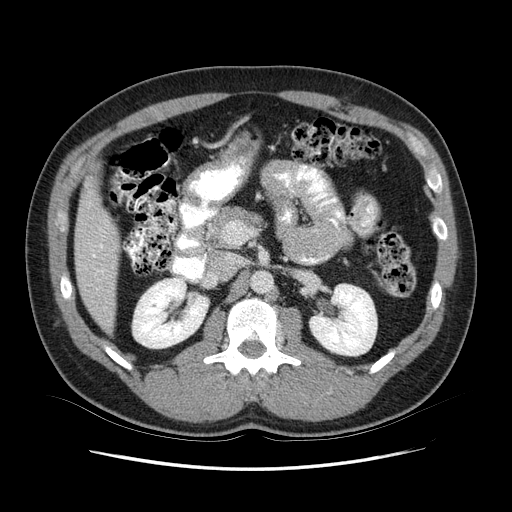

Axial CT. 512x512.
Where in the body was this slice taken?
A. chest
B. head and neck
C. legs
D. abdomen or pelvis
D. abdomen or pelvis
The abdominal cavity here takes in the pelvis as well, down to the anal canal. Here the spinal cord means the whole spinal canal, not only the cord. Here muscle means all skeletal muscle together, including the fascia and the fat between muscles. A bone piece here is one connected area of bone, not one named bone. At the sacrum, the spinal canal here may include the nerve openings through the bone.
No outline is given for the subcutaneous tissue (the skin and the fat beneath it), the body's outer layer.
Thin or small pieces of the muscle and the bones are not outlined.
{"spinal_cord":[[[253,358],[255,358],[256,357],[257,357],[258,356],[259,356],[260,355],[261,355],[265,351],[265,347],[259,341],[257,341],[256,340],[246,340],[245,341],[244,341],[238,347],[238,349],[240,352],[241,352],[246,356],[247,356],[248,357],[252,357]]],"torso":[[[312,440],[366,431],[405,417],[439,387],[463,345],[475,302],[476,243],[464,189],[441,133],[420,109],[387,87],[305,65],[194,67],[138,81],[106,97],[57,140],[39,173],[27,213],[29,301],[55,369],[91,404],[146,428],[184,436],[253,428]]],"bones":[{"outer":[[252,376],[261,368],[269,373],[275,373],[277,367],[282,363],[294,366],[301,363],[295,356],[288,355],[275,347],[274,309],[258,297],[246,297],[232,305],[226,318],[228,344],[223,350],[205,356],[203,359],[204,363],[222,362],[233,375],[245,368]],"hole":[[253,358],[255,358],[256,357],[257,357],[258,356],[259,356],[260,355],[261,355],[265,351],[265,347],[259,341],[257,341],[256,340],[246,340],[245,341],[244,341],[238,347],[238,349],[240,352],[241,352],[246,356],[247,356],[248,357],[252,357]]},[[436,194],[439,194],[441,193],[442,191],[442,180],[441,179],[441,176],[439,172],[437,170],[435,165],[433,163],[431,163],[429,166],[429,168],[428,169],[428,171],[427,172],[427,174],[425,178],[426,179],[426,182],[429,187],[433,191],[433,192]],[[441,240],[446,240],[447,239],[447,238],[448,237],[448,230],[447,229],[446,224],[444,222],[444,221],[439,216],[435,216],[434,217],[433,217],[431,219],[431,226],[432,227],[432,230],[433,231],[433,232],[435,234],[435,235],[439,239],[440,239]],[[424,157],[428,157],[429,155],[428,154],[428,152],[426,148],[424,146],[422,142],[412,133],[410,132],[407,132],[406,133],[406,135],[407,136],[407,139],[413,151],[417,153],[419,155],[421,156],[423,156]],[[128,370],[131,370],[132,369],[133,367],[132,364],[130,362],[126,360],[122,356],[121,356],[109,345],[104,344],[103,345],[103,347],[105,351],[107,353],[107,354],[115,362],[116,362],[118,364],[119,364],[121,366],[122,366],[124,368]],[[370,374],[372,373],[374,373],[378,371],[387,363],[388,363],[395,354],[395,350],[394,349],[390,349],[385,354],[381,356],[376,361],[372,363],[368,371],[368,372]],[[433,309],[436,309],[439,306],[439,304],[441,300],[441,293],[442,291],[441,290],[441,286],[438,282],[438,281],[434,281],[433,282],[430,288],[430,290],[429,291],[430,293],[430,295],[431,296],[431,298],[430,299],[431,301],[431,305]],[[64,299],[69,299],[70,298],[70,297],[71,296],[71,291],[72,290],[72,284],[71,283],[71,280],[70,279],[70,278],[69,277],[69,275],[67,273],[64,273],[61,276],[61,278],[60,279],[60,290],[61,291],[61,295],[62,296],[62,297]]],"abdominal_cavity":[[[347,365],[373,362],[411,333],[431,285],[432,205],[423,168],[396,135],[275,96],[245,94],[120,134],[100,149],[72,195],[67,248],[78,310],[96,334],[140,361],[167,361],[201,339],[214,307],[227,313],[243,297],[258,296],[296,306],[302,340]]],"muscle":[{"outer":[[194,423],[205,423],[224,419],[236,414],[244,408],[252,404],[253,405],[257,404],[267,411],[282,418],[298,419],[304,421],[321,421],[351,414],[359,409],[365,407],[366,404],[372,399],[382,386],[393,375],[400,370],[404,369],[408,364],[413,361],[432,343],[437,335],[444,319],[444,314],[446,309],[447,291],[451,288],[454,281],[457,260],[460,255],[460,251],[458,247],[456,220],[454,214],[454,207],[452,202],[448,176],[445,167],[438,153],[428,138],[421,131],[409,123],[394,119],[375,109],[366,106],[353,104],[343,99],[337,98],[331,95],[313,91],[306,91],[305,90],[266,91],[265,90],[254,90],[252,89],[234,92],[204,92],[168,99],[148,105],[129,114],[115,123],[90,136],[84,141],[76,145],[66,154],[58,168],[50,193],[50,199],[47,212],[47,229],[46,231],[47,232],[49,273],[52,287],[54,291],[54,298],[58,308],[60,310],[61,318],[67,328],[69,335],[75,346],[82,353],[103,365],[110,371],[114,372],[138,397],[154,410],[169,418]],"holes":[[[252,376],[261,368],[275,373],[282,363],[301,363],[275,347],[274,304],[298,308],[302,340],[308,345],[338,363],[371,362],[368,372],[378,371],[395,354],[392,348],[421,321],[427,294],[432,308],[439,306],[441,286],[438,281],[431,283],[436,238],[448,237],[444,221],[439,216],[430,221],[428,217],[432,205],[423,185],[426,182],[436,194],[442,191],[441,176],[433,163],[425,177],[419,162],[396,135],[261,94],[232,96],[120,134],[105,144],[72,195],[67,248],[70,274],[64,273],[60,279],[64,299],[70,298],[74,287],[78,310],[89,327],[140,361],[167,361],[200,340],[205,320],[219,305],[227,313],[228,344],[203,361],[220,361],[233,375],[245,368]],[[424,157],[428,157],[429,155],[428,154],[428,152],[426,148],[424,146],[422,142],[412,133],[410,132],[407,132],[406,133],[406,135],[407,136],[407,139],[413,151],[417,153],[419,155],[421,156],[423,156]],[[128,370],[131,370],[132,369],[133,367],[132,364],[130,362],[126,360],[122,356],[121,356],[109,345],[104,344],[103,345],[103,347],[105,351],[107,353],[107,354],[115,362],[116,362],[118,364],[119,364],[121,366],[122,366],[124,368]],[[60,231],[64,231],[66,229],[66,214],[63,211],[62,211],[60,209],[59,209],[57,211],[57,213],[56,214],[56,219],[55,220],[55,224],[58,227],[58,228],[59,229],[59,230]],[[71,173],[72,173],[76,169],[77,169],[80,166],[80,165],[81,164],[81,163],[82,162],[82,159],[79,159],[75,163],[75,164],[71,168]]]}]}